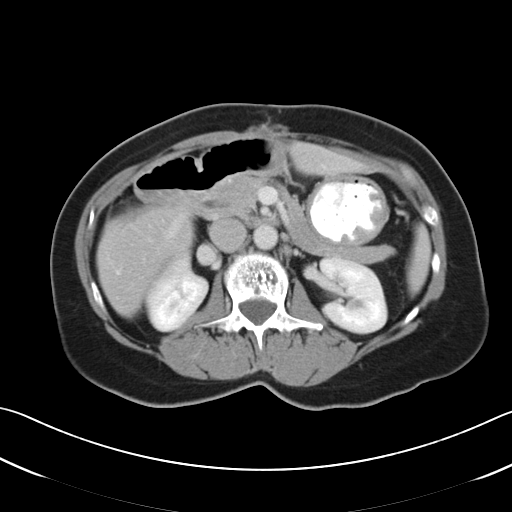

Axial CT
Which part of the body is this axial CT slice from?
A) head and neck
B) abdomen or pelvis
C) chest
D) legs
B) abdomen or pelvis
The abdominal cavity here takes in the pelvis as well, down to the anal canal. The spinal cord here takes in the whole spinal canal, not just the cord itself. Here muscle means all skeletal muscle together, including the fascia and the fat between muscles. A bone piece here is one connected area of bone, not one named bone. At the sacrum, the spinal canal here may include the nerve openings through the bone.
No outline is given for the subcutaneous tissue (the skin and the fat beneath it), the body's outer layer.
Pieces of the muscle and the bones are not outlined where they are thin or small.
{"torso":[[[221,102],[345,107],[401,128],[430,150],[468,210],[489,302],[487,336],[466,365],[446,377],[372,405],[318,411],[296,407],[262,385],[193,405],[150,407],[96,386],[72,367],[60,345],[49,275],[52,234],[65,200],[85,172],[122,141],[184,111]]],"abdominal_cavity":[[[254,135],[329,149],[375,168],[397,184],[430,225],[432,273],[422,297],[392,327],[354,340],[328,323],[297,276],[289,281],[277,258],[250,251],[214,276],[207,301],[179,329],[155,342],[124,333],[107,310],[90,267],[103,211],[151,166],[196,148]]],"muscle":[{"outer":[[265,124],[279,124],[283,125],[289,128],[292,132],[315,133],[342,139],[357,144],[363,148],[375,153],[386,156],[395,157],[407,162],[417,171],[426,183],[432,195],[440,207],[441,210],[440,212],[443,222],[443,228],[444,229],[444,235],[446,243],[446,257],[447,258],[447,269],[445,278],[445,286],[440,297],[436,301],[433,302],[421,314],[423,322],[412,332],[395,341],[383,345],[369,352],[364,355],[359,360],[344,368],[327,380],[319,384],[307,387],[290,386],[283,384],[275,380],[269,373],[261,371],[258,371],[252,374],[231,380],[220,380],[219,379],[206,379],[203,380],[202,379],[185,377],[176,373],[164,362],[153,355],[133,349],[120,343],[106,331],[102,323],[102,320],[92,309],[87,299],[85,291],[81,284],[76,266],[75,252],[74,251],[74,240],[81,214],[85,205],[93,193],[114,174],[130,165],[135,164],[140,161],[149,158],[164,148],[178,141],[191,136],[194,136],[206,132],[218,131],[219,130],[242,131],[246,130],[255,125],[264,125]],"holes":[[[254,135],[360,161],[421,215],[423,204],[436,210],[440,267],[413,319],[354,340],[296,275],[285,309],[322,329],[268,328],[260,350],[243,327],[195,327],[231,311],[223,271],[205,304],[155,342],[124,333],[98,305],[90,250],[105,208],[161,161]],[[92,207],[93,207],[94,208],[94,220],[93,221],[93,224],[92,225],[92,227],[90,229],[89,228],[88,228],[88,220],[89,219],[89,214],[90,213],[90,210],[91,209],[91,208]]]}],"spinal_cord":[[[255,299],[264,299],[265,300],[267,300],[275,304],[275,309],[274,311],[266,319],[265,319],[261,323],[259,324],[256,324],[254,323],[244,314],[243,314],[239,306],[242,302],[244,302],[248,300],[254,300]]],"bones":[{"outer":[[250,252],[277,259],[288,276],[286,311],[293,317],[322,324],[321,330],[299,327],[281,332],[268,328],[262,335],[260,350],[254,333],[243,327],[237,332],[227,332],[216,325],[195,327],[224,317],[231,311],[232,300],[224,285],[224,272],[239,255]],"hole":[[255,299],[264,299],[265,300],[267,300],[275,304],[275,309],[274,311],[266,319],[265,319],[261,323],[259,324],[256,324],[254,323],[244,314],[243,314],[239,306],[242,302],[244,302],[248,300],[254,300]]},[[423,204],[428,204],[429,205],[430,205],[432,207],[433,207],[436,210],[436,211],[438,214],[438,217],[439,218],[439,222],[438,223],[438,224],[436,226],[433,226],[432,225],[431,225],[424,218],[424,217],[422,214],[422,213],[423,212]],[[416,305],[418,305],[419,306],[419,310],[418,311],[418,313],[416,315],[416,316],[413,319],[412,319],[408,323],[407,323],[406,324],[403,324],[403,320],[404,319],[404,318],[406,316],[406,315],[412,309],[412,308],[414,306],[415,306]]]}